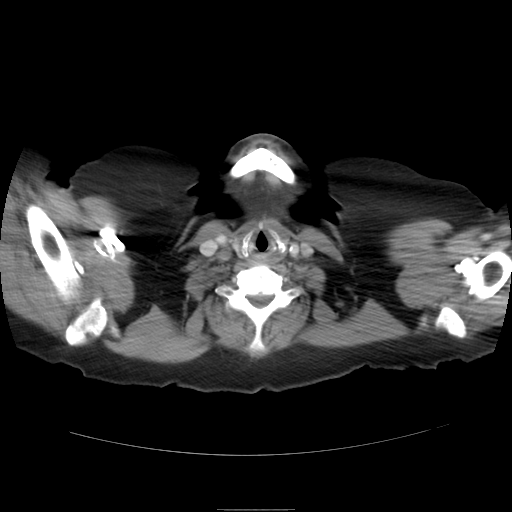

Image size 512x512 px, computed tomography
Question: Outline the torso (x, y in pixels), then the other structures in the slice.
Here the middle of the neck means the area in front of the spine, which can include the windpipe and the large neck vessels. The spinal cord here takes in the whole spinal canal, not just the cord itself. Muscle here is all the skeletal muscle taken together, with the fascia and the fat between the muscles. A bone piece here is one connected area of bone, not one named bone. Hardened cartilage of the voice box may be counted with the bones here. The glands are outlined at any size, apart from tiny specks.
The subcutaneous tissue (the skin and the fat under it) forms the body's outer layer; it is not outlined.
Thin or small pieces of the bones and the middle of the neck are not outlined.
Answer: The torso appears in 2 outlined pieces: piece 1: [[132,142],[175,150],[195,160],[203,170],[203,176],[190,191],[200,194],[197,210],[204,212],[180,244],[168,297],[176,344],[215,392],[200,392],[174,385],[111,384],[86,378],[76,368],[55,364],[79,300],[65,190],[68,177],[84,161],[114,146]]; piece 2: [[342,155],[369,155],[395,160],[422,174],[461,183],[474,193],[455,332],[459,360],[445,362],[436,369],[411,367],[405,370],[387,370],[363,366],[339,378],[307,386],[318,366],[345,333],[358,289],[344,236],[333,220],[338,205],[322,188],[324,162]]. The head and neck is outlined by [[254,133],[284,139],[312,168],[312,189],[290,208],[291,215],[308,223],[317,217],[333,221],[343,236],[357,289],[344,333],[306,386],[216,392],[177,344],[169,290],[181,244],[202,215],[211,210],[222,217],[240,214],[220,191],[213,170],[234,143]]. The muscle appears in 2 outlined pieces: piece 1: [[34,167],[59,194],[115,198],[132,219],[139,278],[156,286],[201,223],[240,224],[255,212],[229,175],[265,171],[296,181],[278,204],[281,221],[331,236],[355,271],[386,292],[394,276],[384,234],[392,227],[428,216],[455,231],[505,224],[511,256],[492,249],[462,272],[478,302],[511,275],[502,326],[471,341],[412,335],[342,348],[297,344],[253,360],[214,347],[176,364],[67,346],[4,301],[8,191],[16,168]], around holes outlined by [[269,229],[288,243],[309,244],[314,252],[286,254],[269,266],[285,277],[284,289],[304,291],[263,324],[265,351],[250,351],[253,323],[243,312],[226,308],[226,299],[214,289],[253,265],[221,249],[208,257],[199,247],[224,233],[229,243],[251,230]] and by [[30,204],[37,205],[46,212],[47,215],[52,220],[66,240],[73,255],[84,266],[86,272],[86,275],[83,278],[84,282],[83,289],[86,299],[84,302],[78,305],[66,305],[50,295],[53,289],[51,282],[30,240],[28,223],[25,215],[26,208]] and by [[93,298],[100,298],[101,299],[101,303],[108,313],[108,317],[109,319],[108,320],[107,325],[98,337],[94,337],[92,335],[88,334],[87,335],[87,340],[86,342],[79,345],[70,345],[65,339],[65,330],[67,326],[79,314],[85,306],[90,302]] and by [[442,305],[449,305],[453,309],[454,309],[463,319],[465,326],[466,327],[466,331],[467,332],[466,335],[463,338],[459,338],[456,336],[451,335],[449,334],[445,329],[441,327],[437,328],[435,326],[434,322],[437,315],[440,311],[440,309]] and by [[113,322],[114,322],[116,324],[116,325],[117,326],[117,327],[119,329],[119,334],[117,336],[116,336],[115,335],[114,335],[110,331],[110,328],[109,327],[109,326],[111,324],[111,323],[112,323]]; piece 2: [[256,137],[272,138],[275,141],[279,142],[281,144],[281,146],[290,154],[294,160],[295,163],[294,166],[291,167],[286,160],[278,155],[273,149],[264,146],[258,146],[250,148],[244,155],[236,159],[233,163],[232,157],[238,151],[240,147],[250,139]]. The middle of the neck is outlined by [[254,230],[268,230],[281,252],[289,242],[307,243],[314,248],[314,252],[305,257],[286,254],[271,265],[260,261],[254,264],[238,261],[221,249],[214,256],[208,257],[199,252],[199,247],[207,240],[224,233],[228,235],[228,242],[237,256],[247,256]]. The spinal cord is outlined by [[259,294],[261,294],[262,295],[273,295],[273,297],[272,298],[272,299],[266,305],[264,305],[261,307],[257,307],[256,306],[253,305],[250,302],[250,301],[247,298],[247,296],[248,295],[250,295],[251,296],[253,296],[254,295],[258,295]]. The right arm is outlined by [[29,142],[43,148],[51,155],[53,158],[53,163],[49,175],[55,179],[60,185],[64,186],[78,298],[54,364],[45,362],[35,356],[18,349],[6,312],[2,276],[0,273],[0,238],[2,234],[3,218],[6,208],[8,191],[18,160],[25,146]]. The bones appear in 7 outlined pieces: piece 1: [[30,204],[37,205],[46,212],[47,215],[52,220],[66,240],[73,255],[84,266],[86,272],[86,275],[83,278],[84,282],[83,289],[86,299],[84,302],[78,305],[66,305],[50,295],[53,289],[51,282],[30,240],[28,223],[25,215],[26,208]]; piece 2: [[257,262],[267,264],[271,269],[285,277],[284,289],[301,286],[304,290],[286,307],[274,311],[263,324],[261,340],[265,351],[250,351],[248,347],[255,334],[253,323],[243,312],[226,308],[226,299],[214,291],[219,285],[231,284],[231,279],[235,274]] with a hole at [[259,294],[261,294],[262,295],[273,295],[273,297],[272,298],[272,299],[266,305],[264,305],[261,307],[257,307],[256,306],[253,305],[250,302],[250,301],[247,298],[247,296],[248,295],[250,295],[251,296],[253,296],[254,295],[258,295]]; piece 3: [[496,249],[502,250],[511,257],[511,274],[508,279],[502,284],[502,287],[493,295],[493,297],[482,301],[478,301],[473,296],[469,295],[467,293],[467,283],[463,272],[466,267],[468,267],[476,263],[489,251],[495,250]]; piece 4: [[258,147],[264,147],[268,149],[271,149],[278,156],[285,160],[295,174],[296,178],[295,179],[295,183],[293,184],[286,183],[270,172],[265,170],[254,170],[249,172],[246,175],[237,178],[232,177],[229,174],[229,171],[236,160],[244,156],[250,149]]; piece 5: [[93,298],[100,298],[101,299],[101,303],[108,313],[108,317],[109,319],[108,320],[107,325],[98,337],[94,337],[92,335],[88,334],[87,335],[87,340],[86,342],[79,345],[70,345],[65,339],[65,330],[67,326],[79,314],[85,306],[90,302]]; piece 6: [[442,305],[449,305],[453,309],[454,309],[463,319],[465,326],[466,327],[466,331],[467,332],[466,335],[463,338],[459,338],[456,336],[451,335],[449,334],[445,329],[441,327],[437,328],[435,326],[434,322],[437,315],[440,311],[440,309]]; piece 7: [[269,229],[272,229],[273,230],[274,230],[279,235],[279,236],[281,238],[281,241],[285,245],[285,246],[286,247],[283,251],[281,251],[281,250],[277,247],[277,243],[275,241],[275,239],[274,238],[274,237],[269,231]]. The left arm is outlined by [[475,194],[487,206],[492,208],[496,208],[501,202],[503,202],[506,206],[507,214],[509,217],[508,225],[511,234],[511,283],[509,284],[508,301],[502,321],[502,326],[500,328],[493,351],[491,353],[471,362],[463,362],[460,360],[456,332]]. The thyroid glands appear in 2 outlined pieces: piece 1: [[235,237],[238,237],[239,238],[241,238],[239,241],[239,252],[240,253],[240,254],[241,255],[242,255],[242,257],[239,257],[238,256],[238,255],[237,254],[237,253],[235,251],[235,250],[232,247],[232,244],[230,242],[230,240],[232,238],[234,238]]; piece 2: [[282,239],[283,239],[284,239],[285,239],[286,239],[287,240],[287,241],[287,242],[287,243],[286,244],[285,244],[284,243],[283,242],[282,241],[282,240]].